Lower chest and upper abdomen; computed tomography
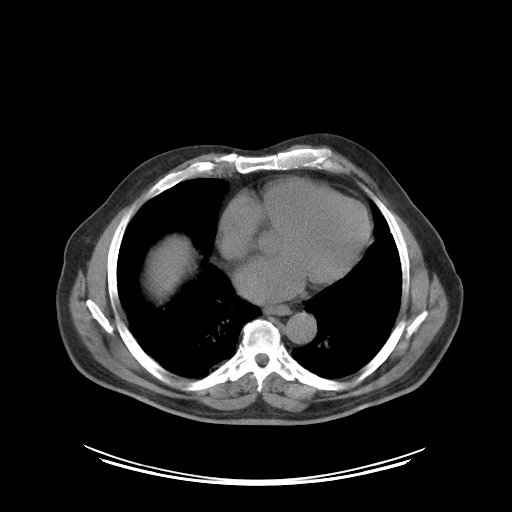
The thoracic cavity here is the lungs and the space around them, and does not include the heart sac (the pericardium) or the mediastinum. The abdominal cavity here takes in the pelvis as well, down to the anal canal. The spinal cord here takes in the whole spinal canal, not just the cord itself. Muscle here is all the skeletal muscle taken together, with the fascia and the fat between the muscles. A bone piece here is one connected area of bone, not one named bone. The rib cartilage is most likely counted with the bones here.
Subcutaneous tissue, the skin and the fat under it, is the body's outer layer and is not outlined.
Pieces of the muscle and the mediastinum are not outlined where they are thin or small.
{"abdominal_cavity":[[[172,232],[183,232],[191,238],[193,244],[201,255],[201,259],[199,261],[199,272],[194,279],[186,282],[182,286],[179,292],[163,307],[155,307],[151,303],[148,302],[142,295],[139,287],[138,276],[142,267],[144,257],[150,246],[161,238],[162,236]]],"torso":[[[312,132],[347,137],[375,154],[436,229],[461,278],[464,299],[459,325],[427,379],[409,393],[338,419],[304,425],[234,425],[168,413],[101,386],[78,371],[66,353],[56,319],[55,290],[63,252],[74,229],[122,179],[146,159],[181,146],[258,149]]],"thoracic_cavity":[{"outer":[[197,177],[216,178],[226,183],[218,204],[216,230],[209,261],[227,276],[235,293],[257,306],[261,313],[242,326],[236,349],[228,359],[206,375],[190,379],[173,374],[163,367],[143,349],[133,335],[120,303],[117,264],[127,225],[141,206],[180,182]],"hole":[[172,232],[183,232],[191,238],[193,244],[201,255],[201,259],[199,261],[199,272],[194,279],[186,282],[182,286],[179,292],[163,307],[155,307],[151,303],[148,302],[142,295],[139,287],[138,276],[142,267],[144,257],[150,246],[161,238],[162,236]]},[[370,199],[385,219],[398,253],[401,272],[399,308],[388,337],[370,360],[351,374],[336,379],[323,377],[304,367],[290,353],[294,348],[310,343],[318,331],[317,320],[312,313],[305,309],[305,302],[343,278],[360,261],[366,249],[374,241],[375,222]]],"spinal_cord":[[[258,354],[265,354],[268,357],[268,361],[266,363],[266,364],[265,364],[264,365],[260,365],[256,361],[256,360],[255,359],[255,357],[256,356],[256,355],[257,355]]],"muscle":[{"outer":[[295,144],[328,146],[367,173],[412,232],[420,246],[429,275],[433,272],[437,275],[448,300],[447,316],[415,363],[399,378],[367,393],[314,402],[300,411],[289,411],[274,407],[260,397],[239,409],[212,408],[195,400],[163,395],[131,383],[96,361],[80,339],[68,305],[78,270],[80,268],[86,271],[87,262],[100,235],[115,215],[143,189],[177,165],[211,152],[224,153],[213,156],[211,160],[194,161],[160,178],[146,192],[143,197],[145,201],[136,211],[136,204],[133,202],[120,217],[108,246],[107,292],[116,330],[132,356],[151,375],[183,392],[202,391],[227,381],[233,382],[247,373],[252,373],[256,391],[259,393],[262,391],[263,381],[271,373],[276,373],[288,382],[297,380],[316,390],[338,392],[355,386],[373,373],[388,358],[404,332],[408,339],[418,329],[428,315],[425,308],[409,324],[407,325],[404,318],[395,324],[401,297],[408,295],[410,287],[408,248],[395,215],[368,187],[363,184],[362,191],[349,178],[337,172],[343,168],[330,158],[332,151],[329,148],[298,147],[282,150]],"hole":[[87,299],[91,299],[98,306],[100,310],[103,313],[105,317],[108,320],[109,323],[112,326],[113,328],[113,332],[112,334],[110,334],[108,333],[93,317],[90,310],[88,308],[86,304],[86,300]]},[[172,374],[173,375],[175,375],[178,377],[180,377],[181,378],[183,378],[184,379],[189,379],[190,380],[191,380],[190,380],[189,381],[188,381],[187,382],[186,382],[183,385],[182,384],[181,384],[178,382],[174,382],[170,377],[170,376]],[[117,304],[120,304],[120,305],[125,314],[125,317],[126,318],[126,320],[127,321],[127,325],[127,324],[126,323],[125,323],[125,322],[124,321],[123,321],[121,319],[121,318],[120,317],[120,315],[119,314],[119,312],[118,311],[118,309],[117,308]],[[356,372],[357,372],[357,375],[354,378],[353,381],[351,383],[350,383],[348,381],[346,381],[345,380],[338,380],[337,379],[339,379],[340,378],[342,378],[343,377],[345,377],[346,376],[348,376],[349,375],[351,375],[352,374],[353,374]]],"mediastinum":[[[314,294],[316,294],[315,295],[304,302],[303,306],[316,320],[316,334],[310,342],[299,347],[294,347],[290,352],[281,340],[278,328],[271,321],[258,317],[255,318],[259,316],[262,311],[257,305],[253,304],[263,306],[282,302],[297,303]],[[302,168],[328,171],[345,176],[369,198],[373,221],[368,204],[357,193],[339,183],[305,173],[272,173],[250,181],[225,202],[225,204],[217,222],[217,234],[213,249],[216,265],[210,261],[217,230],[216,223],[219,204],[227,183],[220,178],[202,176]]],"bones":[{"outer":[[133,203],[135,211],[126,225],[117,255],[116,308],[138,344],[171,373],[169,377],[174,383],[183,386],[218,368],[235,353],[243,326],[258,318],[277,328],[287,351],[304,368],[320,377],[351,384],[401,319],[407,326],[423,310],[427,315],[408,338],[402,333],[373,372],[343,390],[320,390],[271,372],[262,381],[259,392],[256,378],[247,372],[233,381],[183,391],[142,366],[117,330],[108,292],[107,256],[114,231]],"hole":[[258,354],[265,354],[268,357],[268,361],[266,363],[266,364],[265,364],[264,365],[260,365],[256,361],[256,360],[255,359],[255,357],[256,356],[256,355],[257,355]]},[[298,148],[329,149],[331,151],[329,158],[342,168],[336,172],[302,167],[285,170],[261,169],[248,173],[202,175],[180,181],[147,200],[144,198],[150,188],[164,176],[184,169],[197,161],[211,161],[215,156],[229,153],[244,156],[265,156]],[[363,185],[368,188],[394,215],[403,235],[409,259],[409,287],[408,288],[408,293],[405,297],[402,296],[402,272],[401,271],[401,264],[399,258],[399,253],[394,238],[390,232],[390,229],[386,219],[380,211],[379,208],[364,191],[362,187]],[[87,299],[91,299],[98,306],[100,310],[103,313],[105,317],[108,320],[109,323],[112,326],[113,328],[113,332],[112,334],[110,334],[108,333],[93,317],[90,310],[88,308],[86,304],[86,300]]],"pericardium":[[[272,174],[305,174],[339,184],[351,190],[367,204],[373,222],[373,229],[371,239],[361,256],[343,277],[309,297],[297,302],[282,301],[261,305],[244,299],[236,292],[226,272],[217,265],[214,249],[218,234],[218,222],[226,202],[238,190],[250,182]]]}